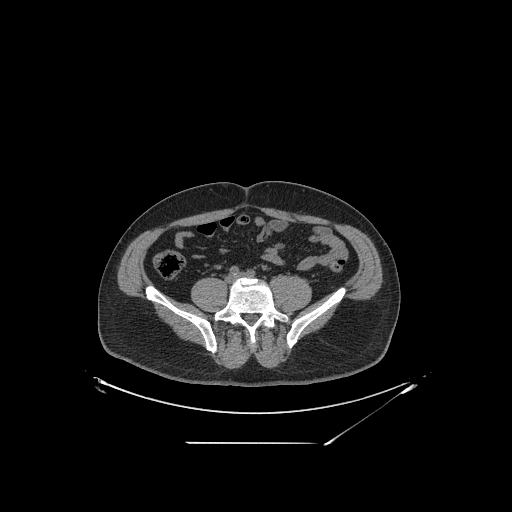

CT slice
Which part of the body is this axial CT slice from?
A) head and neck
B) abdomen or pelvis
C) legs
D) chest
B) abdomen or pelvis
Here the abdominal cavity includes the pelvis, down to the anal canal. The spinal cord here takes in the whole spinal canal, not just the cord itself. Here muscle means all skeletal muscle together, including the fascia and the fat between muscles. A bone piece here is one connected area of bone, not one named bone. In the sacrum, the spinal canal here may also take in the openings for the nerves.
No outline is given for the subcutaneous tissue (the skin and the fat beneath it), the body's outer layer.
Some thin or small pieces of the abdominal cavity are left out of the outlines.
The torso is outlined by 265,180 304,184 344,200 360,211 386,241 395,260 401,300 389,346 380,361 351,376 328,381 305,385 245,387 176,381 141,369 107,353 97,331 98,288 107,260 128,226 156,202 186,188 222,181 248,186. The spinal cord is outlined by 245,314 256,314 257,315 258,315 258,317 257,318 257,319 255,321 255,322 253,324 252,324 251,325 250,325 243,318 243,315 244,315. The abdominal cavity is outlined by 243,213 334,228 355,250 358,259 355,273 343,285 309,304 310,284 303,277 287,273 272,276 268,284 257,277 240,276 228,289 222,279 202,277 190,288 192,303 164,294 144,267 147,251 160,235 174,227. The muscle is outlined by 242,203 253,204 262,207 275,208 280,210 290,211 291,212 295,212 301,214 307,214 308,215 318,216 340,224 348,224 351,225 365,233 373,242 379,255 380,262 382,267 382,278 383,281 381,287 373,297 367,300 353,300 352,299 346,299 344,300 339,305 333,316 323,327 315,332 312,332 308,334 301,340 300,343 297,346 297,348 286,361 282,362 278,366 273,368 267,368 260,365 252,357 251,357 242,366 233,369 229,369 221,365 216,364 209,356 202,353 202,349 199,346 179,338 171,328 158,317 155,313 155,310 151,303 146,300 137,297 132,297 126,295 120,290 117,283 117,271 121,258 126,248 131,241 142,232 159,226 163,226 167,223 169,223 174,220 180,218 183,218 184,217 187,217 188,216 191,216 204,212 208,212 213,210 218,210 219,209 224,209 225,208 231,208 with a hole at 243,213 330,226 357,255 342,299 291,348 294,319 332,293 308,304 303,277 271,277 288,320 258,327 253,347 244,327 214,319 222,279 198,279 192,303 165,294 210,323 214,353 146,298 144,260 160,235. The bones appear in 3 outlined pieces: piece 1: 240,277 257,278 266,282 271,290 275,308 288,317 285,322 275,320 274,327 270,328 263,325 258,327 254,334 255,343 253,347 250,345 249,332 244,327 237,323 232,324 214,319 214,314 227,303 230,286, around a hole outlined by 245,314 256,314 257,315 258,315 258,317 257,318 257,319 255,321 255,322 253,324 252,324 251,325 250,325 243,318 243,315 244,315; piece 2: 147,285 153,285 176,307 184,311 190,312 206,319 210,323 212,331 215,336 215,339 217,344 217,350 213,353 205,348 204,338 198,328 193,323 176,314 166,306 160,303 154,302 147,299 144,292 144,289; piece 3: 341,286 344,286 346,289 346,292 344,294 342,299 338,303 330,307 322,314 309,323 300,333 298,340 296,343 291,348 289,348 287,346 286,343 286,335 290,329 291,324 294,319 310,312 322,304 333,292.